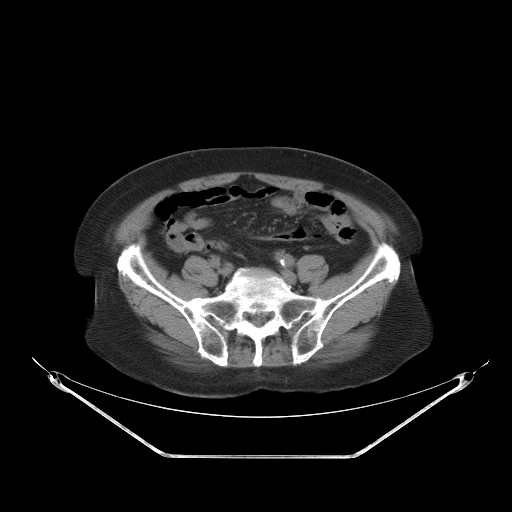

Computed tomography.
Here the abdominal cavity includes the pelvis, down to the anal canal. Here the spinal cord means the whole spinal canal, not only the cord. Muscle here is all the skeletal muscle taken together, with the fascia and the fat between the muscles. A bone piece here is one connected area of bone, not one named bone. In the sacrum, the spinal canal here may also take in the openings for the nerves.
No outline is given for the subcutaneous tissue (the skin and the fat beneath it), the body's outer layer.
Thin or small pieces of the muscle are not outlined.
torso: 263 145; 341 158; 401 195; 425 237; 424 252; 413 266; 435 317; 432 344; 396 372; 361 387; 321 394; 258 390; 219 399; 142 383; 88 349; 79 325; 93 304; 94 288; 90 279; 74 271; 72 249; 94 199; 125 173; 173 153
bones: 382 242; 399 257; 398 279; 345 301; 323 346; 297 365; 300 322; 262 340; 258 367; 254 341; 220 327; 223 367; 197 352; 175 307; 116 267; 137 243; 153 276; 184 300; 220 294; 240 267; 269 269; 293 292; 328 299; 356 281, around a hole outlined by 271 311; 273 311; 274 312; 274 314; 268 320; 265 321; 264 323; 260 326; 257 326; 255 325; 247 318; 245 318; 243 316; 243 314; 244 313; 248 313; 254 316; 256 315; 260 315; 261 314; 263 314; 265 315; 269 313
muscle 1: 235 171; 254 171; 320 181; 381 207; 399 231; 400 260; 394 247; 382 241; 363 272; 349 286; 328 298; 310 295; 310 284; 300 281; 297 275; 296 264; 299 258; 306 254; 323 256; 328 265; 326 279; 349 272; 370 249; 368 232; 360 225; 347 203; 332 193; 314 189; 288 189; 252 175; 240 175; 227 183; 209 185; 202 189; 176 190; 163 196; 152 207; 150 222; 145 229; 145 247; 167 270; 169 276; 176 274; 181 277; 184 263; 192 255; 207 260; 217 274; 215 285; 204 287; 207 296; 184 299; 168 289; 151 272; 141 245; 137 242; 132 242; 121 250; 115 266; 111 249; 113 236; 124 216; 136 205; 180 182
muscle 2: 382 280; 386 280; 389 283; 398 281; 390 293; 386 306; 375 322; 376 332; 371 339; 367 349; 352 359; 341 363; 334 363; 326 368; 313 369; 298 365; 306 362; 324 346; 322 341; 322 334; 333 313; 345 302; 355 297; 368 287
muscle 3: 116 268; 120 275; 175 308; 184 317; 194 333; 197 341; 196 352; 202 358; 222 367; 215 367; 211 370; 203 372; 188 371; 164 359; 164 354; 158 351; 156 347; 144 337; 144 327; 140 318; 130 308; 124 294; 118 286
muscle 4: 299 323; 300 324; 291 337; 291 342; 290 343; 291 363; 293 366; 296 366; 279 366; 278 367; 261 366; 263 364; 263 358; 262 357; 263 340; 268 336; 273 336; 277 334; 279 332; 281 327; 286 330; 289 330; 295 324; 298 324
muscle 5: 220 328; 225 331; 232 331; 235 330; 236 333; 238 335; 240 336; 246 336; 250 338; 253 341; 254 344; 254 354; 251 361; 253 367; 242 367; 241 368; 226 367; 228 365; 228 355; 229 354; 228 353; 228 345; 223 333; 220 330
spinal cord: 271 311; 273 311; 274 312; 274 314; 268 320; 265 321; 264 323; 260 326; 257 326; 255 325; 247 318; 245 318; 243 316; 243 314; 244 313; 248 313; 254 316; 256 315; 260 315; 261 314; 263 314; 265 315; 269 313
abdominal cavity: 240 176; 343 200; 367 232; 369 249; 349 271; 326 278; 324 256; 303 254; 296 275; 309 284; 308 294; 293 291; 269 268; 240 266; 220 293; 208 296; 205 287; 215 286; 218 274; 195 254; 181 276; 169 275; 146 247; 155 204